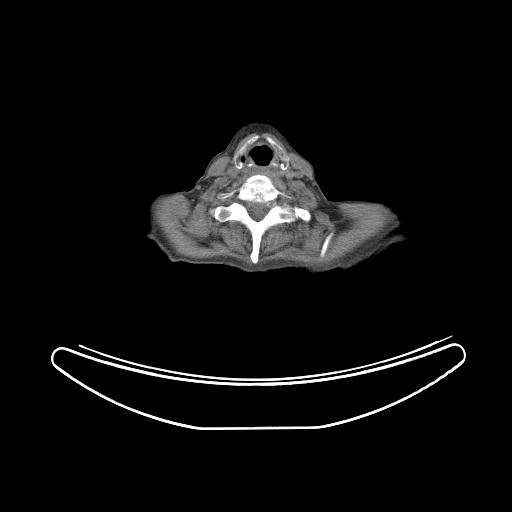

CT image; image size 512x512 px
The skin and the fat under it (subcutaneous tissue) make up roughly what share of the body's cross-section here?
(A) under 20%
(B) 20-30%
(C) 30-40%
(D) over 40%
Answer: (B) 20-30%
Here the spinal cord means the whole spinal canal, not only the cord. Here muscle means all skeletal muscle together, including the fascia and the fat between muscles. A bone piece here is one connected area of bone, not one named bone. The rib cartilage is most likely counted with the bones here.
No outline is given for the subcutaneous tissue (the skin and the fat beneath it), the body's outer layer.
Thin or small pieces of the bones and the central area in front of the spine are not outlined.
{"muscle":[{"outer":[[255,129],[273,133],[310,166],[313,189],[323,204],[377,204],[393,214],[394,222],[329,264],[258,264],[270,228],[299,219],[309,222],[312,215],[282,201],[291,197],[271,177],[283,175],[290,158],[270,136],[253,133],[236,151],[235,169],[248,176],[236,192],[217,195],[221,201],[231,199],[228,203],[208,210],[218,222],[238,222],[248,230],[253,264],[178,254],[154,220],[154,204],[164,196],[198,194],[212,163]],"hole":[[331,232],[332,232],[333,233],[333,234],[330,239],[330,241],[328,244],[328,246],[327,247],[327,249],[326,250],[324,255],[322,257],[320,257],[320,252],[321,251],[321,248],[322,247],[322,245],[323,244],[323,242],[324,241],[325,238]]}],"central_area_in_front_of_the_spine":[[[260,135],[263,136],[282,154],[283,161],[279,166],[283,171],[285,171],[283,174],[270,177],[262,173],[254,173],[248,175],[245,173],[241,173],[236,169],[240,169],[243,166],[243,163],[241,161],[236,163],[237,156],[243,154],[247,146],[258,139]]],"bones":[{"outer":[[254,174],[267,176],[289,196],[289,199],[280,196],[282,202],[306,209],[311,215],[309,221],[299,218],[270,227],[261,238],[255,264],[250,258],[249,230],[238,221],[220,222],[209,213],[210,209],[232,200],[221,200],[220,193],[236,193],[247,177]],"hole":[[249,202],[255,202],[256,203],[264,203],[265,204],[266,204],[268,206],[269,206],[269,208],[267,210],[267,212],[261,219],[260,219],[259,220],[256,220],[251,217],[251,216],[249,214],[249,212],[247,209],[247,207],[246,206],[246,204]]},[[265,136],[268,136],[274,140],[282,148],[283,152],[286,154],[289,158],[288,162],[287,163],[287,168],[285,170],[283,170],[280,166],[281,163],[284,161],[284,159],[283,158],[283,154],[279,150],[278,150],[275,146],[272,145],[266,139]],[[331,232],[332,232],[333,233],[333,234],[330,239],[330,241],[328,244],[328,246],[327,247],[327,249],[326,250],[324,255],[322,257],[320,257],[320,252],[321,251],[321,248],[322,247],[322,245],[323,244],[323,242],[324,241],[325,238]],[[253,134],[258,134],[259,135],[258,138],[257,138],[254,141],[253,141],[252,142],[249,143],[246,146],[246,147],[245,148],[245,149],[244,150],[243,153],[241,153],[239,155],[238,155],[237,154],[237,151],[240,149],[240,148],[247,141],[247,140]]],"spinal_cord":[[[249,202],[255,202],[256,203],[264,203],[265,204],[266,204],[268,206],[269,206],[269,208],[267,210],[267,212],[261,219],[260,219],[259,220],[256,220],[251,217],[251,216],[249,214],[249,212],[247,209],[247,207],[246,206],[246,204]]],"torso":[[[249,121],[275,126],[311,162],[315,178],[328,199],[385,202],[399,212],[411,238],[348,271],[337,269],[312,274],[280,269],[247,273],[221,265],[170,261],[153,242],[140,236],[148,229],[148,203],[160,192],[191,189],[209,160],[226,146],[239,126]]]}